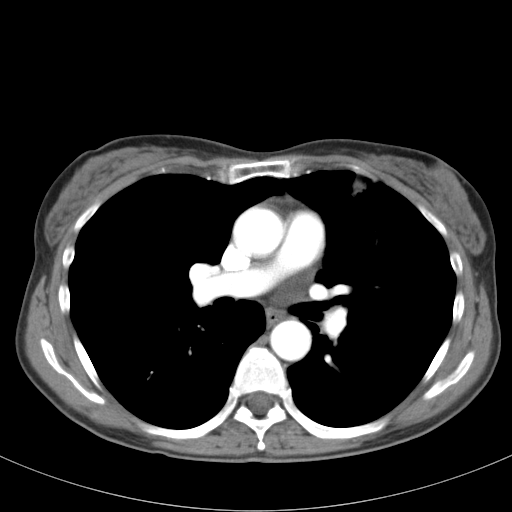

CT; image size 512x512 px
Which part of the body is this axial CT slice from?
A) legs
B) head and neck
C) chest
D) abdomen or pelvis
C) chest
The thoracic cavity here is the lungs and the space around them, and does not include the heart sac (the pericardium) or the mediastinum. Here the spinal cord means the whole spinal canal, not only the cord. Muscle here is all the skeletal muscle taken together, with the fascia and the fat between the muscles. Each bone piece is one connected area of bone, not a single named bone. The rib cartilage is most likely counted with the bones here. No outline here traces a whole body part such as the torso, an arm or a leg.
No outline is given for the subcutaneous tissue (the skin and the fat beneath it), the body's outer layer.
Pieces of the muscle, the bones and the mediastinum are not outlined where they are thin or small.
Outlined structures:
bones 1: (252, 344) (275, 356) (294, 403) (314, 421) (343, 428) (389, 416) (387, 424) (355, 437) (320, 438) (289, 416) (265, 431) (263, 450) (257, 449) (256, 433) (230, 416) (197, 438) (169, 438) (144, 431) (135, 418) (164, 428) (188, 429) (215, 415) (224, 405) (237, 366), around a hole outlined by (257, 391) (262, 391) (272, 396) (272, 399) (273, 400) (272, 402) (272, 405) (271, 407) (270, 407) (263, 415) (256, 415) (254, 413) (253, 413) (253, 412) (249, 408) (247, 404) (247, 396) (249, 394) (253, 392) (256, 392)
bones 2: (294, 156) (297, 157) (297, 160) (303, 164) (304, 166) (303, 172) (297, 176) (274, 177) (269, 175) (261, 175) (260, 176) (254, 176) (231, 184) (223, 183) (217, 180) (215, 176) (216, 170) (223, 163) (229, 165) (236, 163) (253, 162) (258, 160) (287, 159)
bones 3: (41, 338) (46, 339) (52, 345) (55, 355) (60, 365) (67, 372) (71, 374) (74, 378) (86, 389) (93, 391) (104, 398) (105, 402) (103, 404) (94, 402) (87, 398) (74, 386) (72, 382) (66, 376) (61, 373) (59, 373) (51, 366) (47, 361) (40, 345) (40, 339)
bones 4: (471, 350) (473, 350) (474, 351) (474, 357) (466, 373) (457, 382) (453, 384) (451, 384) (439, 394) (429, 399) (424, 399) (423, 398) (423, 395) (424, 393) (436, 381) (440, 379) (442, 379) (446, 376) (447, 376) (457, 366) (457, 365) (463, 358) (463, 357) (469, 351)
bones 5: (75, 333) (76, 333) (77, 336) (79, 338) (99, 377) (99, 379) (103, 387) (103, 389) (102, 390) (100, 390) (97, 388) (81, 364) (81, 362) (75, 350) (74, 344) (73, 343) (73, 334)
bones 6: (447, 336) (450, 337) (451, 340) (450, 341) (448, 349) (445, 354) (444, 358) (442, 360) (441, 363) (439, 365) (439, 366) (437, 368) (433, 375) (425, 383) (421, 383) (420, 381) (423, 375) (428, 368) (431, 361) (433, 359) (435, 354) (437, 352) (441, 344)
bones 7: (417, 204) (421, 204) (423, 205) (428, 210) (429, 210) (434, 215) (435, 215) (443, 223) (447, 231) (447, 236) (446, 237) (443, 237) (442, 235) (436, 229) (436, 228) (431, 223) (430, 223) (427, 219) (426, 219) (426, 218) (422, 214) (422, 213) (416, 206)
bones 8: (97, 200) (100, 200) (102, 202) (102, 203) (95, 211) (95, 212) (91, 216) (91, 217) (82, 226) (82, 227) (79, 230) (79, 231) (78, 232) (75, 232) (73, 229) (73, 227) (78, 217) (91, 204) (92, 204) (95, 201)
bones 9: (458, 290) (460, 290) (463, 293) (463, 295) (464, 296) (464, 307) (463, 308) (463, 312) (462, 313) (462, 315) (461, 316) (461, 318) (460, 320) (458, 321) (455, 324) (454, 324) (452, 323) (452, 315) (453, 314) (453, 304) (454, 303) (455, 294)
bones 10: (342, 163) (346, 163) (347, 164) (356, 164) (360, 167) (363, 168) (370, 174) (371, 174) (373, 176) (374, 179) (368, 176) (366, 176) (365, 175) (363, 175) (359, 173) (356, 173) (350, 169) (338, 166) (337, 165) (341, 164)
muscle: (290, 153) (339, 154) (365, 160) (417, 192) (453, 230) (476, 272) (476, 284) (485, 288) (493, 330) (487, 365) (467, 392) (440, 413) (360, 446) (295, 455) (268, 455) (263, 451) (206, 455) (156, 447) (131, 432) (97, 424) (60, 399) (30, 365) (24, 350) (27, 314) (36, 285) (43, 274) (50, 275) (67, 224) (90, 196) (156, 160) (183, 155) (257, 160) (223, 162) (214, 175) (203, 176) (161, 166) (104, 202) (97, 199) (91, 203) (75, 220) (75, 243) (68, 243) (61, 257) (68, 277) (67, 282) (58, 285) (58, 305) (63, 314) (70, 316) (75, 330) (72, 343) (80, 364) (97, 389) (102, 391) (103, 384) (137, 417) (134, 421) (138, 427) (169, 439) (197, 439) (230, 417) (255, 433) (256, 449) (263, 451) (266, 431) (289, 417) (317, 438) (350, 439) (383, 429) (390, 420) (389, 415) (384, 415) (419, 382) (425, 384) (434, 375) (452, 340) (447, 335) (450, 326) (461, 320) (465, 307) (464, 293) (456, 291) (463, 263) (460, 254) (447, 247) (446, 226) (423, 204) (415, 205) (356, 163) (339, 163) (336, 165) (342, 168) (305, 168) (295, 155) (263, 159); inner edges: (41, 338) (46, 339) (52, 345) (55, 355) (60, 365) (67, 372) (71, 374) (74, 378) (86, 389) (93, 391) (104, 398) (105, 402) (103, 404) (94, 402) (87, 398) (74, 386) (72, 382) (66, 376) (61, 373) (59, 373) (51, 366) (47, 361) (40, 345) (40, 339), then (471, 350) (473, 350) (474, 351) (474, 357) (466, 373) (457, 382) (453, 384) (451, 384) (439, 394) (429, 399) (424, 399) (423, 398) (423, 395) (424, 393) (436, 381) (440, 379) (442, 379) (446, 376) (447, 376) (457, 366) (457, 365) (463, 358) (463, 357) (469, 351)
thoracic cavity: (343, 168) (413, 204) (456, 277) (409, 393) (343, 427) (295, 403) (287, 369) (313, 334) (294, 310) (322, 299) (327, 243) (285, 190) (236, 216) (212, 267) (215, 297) (265, 321) (220, 409) (169, 428) (122, 405) (70, 315) (76, 240) (100, 206) (156, 174) (231, 185)
spinal cord: (257, 391) (262, 391) (272, 396) (272, 399) (273, 400) (272, 402) (272, 405) (271, 407) (270, 407) (263, 415) (256, 415) (254, 413) (253, 413) (253, 412) (249, 408) (247, 404) (247, 396) (249, 394) (253, 392) (256, 392)
mediastinum 1: (233, 224) (225, 258) (268, 299) (297, 296) (310, 285) (320, 264) (323, 254) (324, 224) (326, 243) (322, 267) (315, 275) (321, 299) (293, 310) (312, 334) (311, 349) (286, 373) (273, 353) (253, 343) (265, 329) (262, 306) (249, 299) (235, 303) (232, 297) (214, 293) (213, 267) (228, 245)
mediastinum 2: (285, 191) (286, 191) (291, 196) (300, 200) (302, 202) (303, 202) (305, 204) (306, 204) (310, 208) (311, 208) (313, 210) (314, 210) (316, 212) (317, 212) (319, 214) (319, 215) (313, 210) (308, 208) (301, 202) (290, 197) (288, 195) (273, 195) (281, 195)
pericardium: (272, 196) (288, 196) (301, 203) (317, 214) (323, 224) (324, 245) (322, 254) (319, 264) (313, 273) (309, 285) (303, 293) (283, 298) (268, 298) (262, 292) (258, 285) (233, 269) (226, 258) (226, 251) (230, 246) (234, 224) (237, 218) (246, 210) (267, 200) (269, 197)